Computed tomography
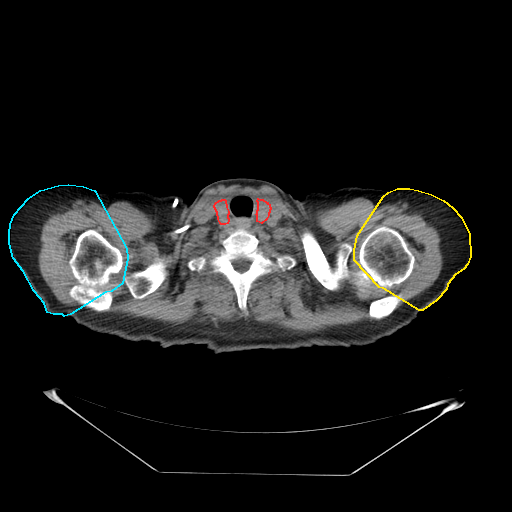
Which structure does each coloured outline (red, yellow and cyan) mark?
red: thyroid glands; yellow: left arm; cyan: right arm.
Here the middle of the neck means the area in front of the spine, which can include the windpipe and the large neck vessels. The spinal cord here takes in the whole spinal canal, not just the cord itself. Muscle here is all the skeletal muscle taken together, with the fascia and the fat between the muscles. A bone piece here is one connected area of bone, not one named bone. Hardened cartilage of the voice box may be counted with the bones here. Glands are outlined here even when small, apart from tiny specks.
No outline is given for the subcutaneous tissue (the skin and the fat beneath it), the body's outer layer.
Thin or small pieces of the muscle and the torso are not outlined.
{"thyroid_glands":[[[222,199],[224,199],[225,200],[226,207],[228,211],[228,214],[227,215],[227,217],[228,218],[228,221],[227,223],[225,224],[221,224],[220,223],[218,219],[217,212],[214,207],[214,205],[215,203],[219,200],[221,200]],[[258,198],[260,199],[262,199],[266,202],[267,202],[267,203],[269,204],[269,206],[270,207],[270,209],[269,210],[269,212],[268,213],[268,215],[266,219],[261,223],[257,221],[257,215],[256,214],[257,213],[257,210],[258,209],[258,202],[257,201]]],"left_arm":[[[397,188],[409,188],[418,190],[431,194],[443,200],[452,207],[461,217],[469,234],[470,256],[467,264],[463,269],[455,274],[447,284],[446,289],[436,300],[422,310],[419,310],[383,288],[379,287],[354,260],[354,250],[357,235],[383,196],[388,192]]],"right_arm":[[[68,184],[83,186],[94,190],[126,248],[127,258],[122,283],[111,291],[105,292],[70,314],[64,316],[62,314],[53,314],[47,312],[44,303],[34,291],[23,271],[13,258],[9,243],[9,233],[10,224],[14,214],[28,198],[40,190],[58,185]]],"bones":[[[379,226],[398,231],[414,257],[413,268],[405,280],[389,288],[375,282],[368,287],[358,287],[348,281],[336,290],[329,290],[312,274],[301,240],[304,230],[314,235],[332,267],[340,245],[348,243],[352,249],[347,267],[357,271],[362,268],[360,246]],{"outer":[[236,228],[245,229],[255,235],[259,240],[259,246],[266,252],[288,254],[296,260],[292,268],[283,272],[266,273],[251,284],[246,299],[247,314],[239,308],[234,288],[222,273],[199,273],[187,266],[187,262],[194,257],[210,256],[221,247],[220,240]],"hole":[[239,257],[243,257],[244,258],[249,260],[249,261],[250,262],[248,268],[245,271],[244,271],[243,272],[239,272],[237,270],[236,270],[234,268],[234,267],[233,266],[233,264],[232,263],[232,261],[233,260],[235,260],[236,259],[237,259]]},[[88,229],[94,229],[100,233],[120,251],[122,256],[123,262],[120,270],[117,273],[110,275],[110,280],[106,285],[112,291],[112,301],[107,311],[98,312],[85,307],[73,299],[69,294],[70,289],[78,283],[72,273],[69,260],[74,251],[78,235]],[[158,257],[165,257],[165,259],[166,260],[167,275],[165,279],[157,288],[157,289],[148,294],[145,297],[141,299],[136,299],[134,298],[130,293],[128,288],[123,281],[122,276],[124,274],[129,274],[133,272],[141,271],[145,269],[149,265],[154,262]],[[398,293],[400,293],[402,295],[402,299],[398,303],[395,309],[389,315],[381,319],[375,319],[369,316],[369,306],[370,305],[370,303],[373,300],[375,299],[378,299],[379,298],[381,298],[384,296],[386,296],[390,294],[397,294]]],"torso":[[[239,177],[269,181],[300,200],[310,191],[344,186],[391,190],[356,235],[353,260],[379,288],[420,311],[417,317],[367,345],[216,354],[203,344],[164,348],[155,341],[130,341],[66,317],[123,283],[127,248],[95,191],[176,194],[190,203],[204,186]]],"middle_of_the_neck":[[[235,192],[246,192],[257,198],[255,214],[258,223],[261,224],[267,219],[271,209],[281,211],[280,221],[272,227],[249,229],[221,226],[214,229],[196,225],[193,221],[195,212],[207,204],[215,210],[219,223],[221,225],[227,224],[229,211],[225,198]]],"spinal_cord":[[[239,257],[243,257],[244,258],[249,260],[249,261],[250,262],[248,268],[245,271],[244,271],[243,272],[239,272],[237,270],[236,270],[234,268],[234,267],[233,266],[233,264],[232,263],[232,261],[233,260],[235,260],[236,259],[237,259]]],"muscle":[{"outer":[[220,184],[270,186],[308,214],[355,197],[374,203],[407,202],[437,228],[442,268],[431,286],[398,308],[403,295],[390,293],[369,303],[368,316],[374,319],[315,332],[244,319],[217,325],[171,324],[108,311],[113,291],[107,285],[121,270],[123,256],[100,232],[88,228],[77,235],[68,260],[77,281],[68,294],[80,305],[61,303],[38,266],[40,227],[50,210],[72,198],[124,200],[161,218],[188,210],[206,190]],"holes":[[[235,192],[249,193],[281,211],[276,225],[247,230],[266,252],[288,254],[296,260],[292,268],[266,273],[251,284],[247,314],[222,273],[199,273],[187,266],[194,257],[210,256],[236,228],[198,226],[193,221],[195,212],[207,204],[213,208]],[[379,226],[398,231],[414,257],[413,268],[405,280],[389,288],[375,282],[368,287],[358,287],[348,281],[336,290],[329,290],[312,274],[301,240],[304,230],[314,235],[332,267],[340,245],[348,243],[352,249],[347,267],[357,271],[362,268],[360,246]],[[158,257],[165,257],[165,259],[166,260],[167,275],[165,279],[157,288],[157,289],[148,294],[145,297],[141,299],[136,299],[134,298],[130,293],[128,288],[123,281],[122,276],[124,274],[129,274],[133,272],[141,271],[145,269],[149,265],[154,262]]]}]}